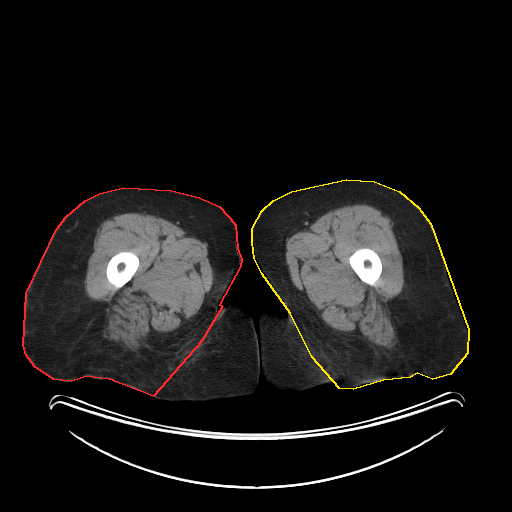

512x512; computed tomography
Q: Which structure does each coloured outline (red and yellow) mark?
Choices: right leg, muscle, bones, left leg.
A: red: right leg; yellow: left leg.
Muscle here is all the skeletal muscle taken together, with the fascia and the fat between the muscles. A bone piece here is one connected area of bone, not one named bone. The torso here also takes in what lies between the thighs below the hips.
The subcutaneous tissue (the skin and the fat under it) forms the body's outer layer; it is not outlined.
The right leg is outlined by 123,187 171,190 199,197 219,206 235,224 237,248 241,259 240,266 219,304 222,306 201,341 153,396 109,379 86,376 71,381 53,379 34,366 26,355 23,345 26,293 56,229 66,216 85,200 99,193. The left leg is outlined by 346,179 374,181 399,191 418,207 430,223 468,329 467,353 450,374 432,379 417,373 410,377 383,380 353,389 339,388 312,357 290,313 262,274 254,258 252,242 252,228 262,210 273,200 291,191. The torso is outlined by 237,299 246,307 257,332 259,313 263,308 273,310 276,306 283,312 284,306 298,328 311,357 332,384 324,384 299,393 289,393 270,388 261,372 255,390 245,397 209,401 168,401 153,397 202,341 223,305. The bones appear in 2 outlined pieces: piece 1: 360,248 369,248 376,252 380,258 381,264 382,265 382,270 381,271 381,273 380,274 379,278 376,281 376,285 375,286 372,286 362,281 353,270 349,263 349,261 348,260 349,257 357,249 359,249; piece 2: 121,251 130,251 134,253 138,257 139,259 139,265 136,271 132,276 131,279 129,280 120,288 116,288 111,283 110,283 110,282 107,279 107,277 106,276 106,267 111,257 115,254. The muscle appears in 2 outlined pieces: piece 1: 126,212 162,217 175,223 189,236 206,242 213,271 211,289 189,324 175,333 150,337 135,352 124,349 118,343 102,336 105,323 104,308 101,303 89,298 84,289 87,262 93,250 97,228 105,219; inner edge: 121,251 130,251 134,253 138,257 139,259 139,265 136,271 132,276 131,279 129,280 120,288 116,288 111,283 110,283 110,282 107,279 107,277 106,276 106,267 111,257 115,254; piece 2: 354,204 371,205 391,219 393,222 392,230 403,260 403,289 391,301 392,321 398,342 395,347 389,350 372,348 363,340 335,335 318,316 306,296 292,283 285,259 285,244 288,237 306,228 324,213 344,205 with a hole at 360,248 369,248 376,252 380,258 381,264 382,265 382,270 381,271 381,273 380,274 379,278 376,281 376,285 375,286 372,286 362,281 353,270 349,263 349,261 348,260 349,257 357,249 359,249.